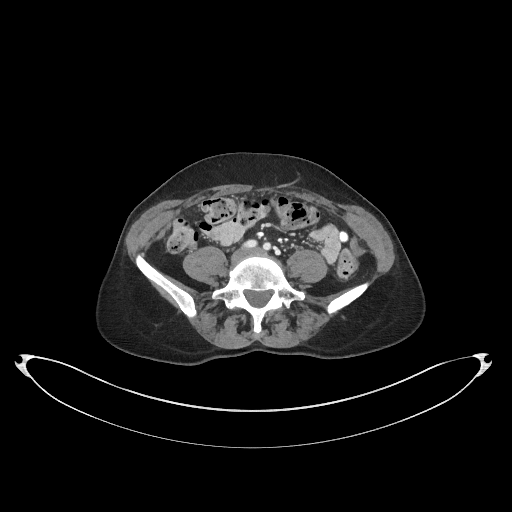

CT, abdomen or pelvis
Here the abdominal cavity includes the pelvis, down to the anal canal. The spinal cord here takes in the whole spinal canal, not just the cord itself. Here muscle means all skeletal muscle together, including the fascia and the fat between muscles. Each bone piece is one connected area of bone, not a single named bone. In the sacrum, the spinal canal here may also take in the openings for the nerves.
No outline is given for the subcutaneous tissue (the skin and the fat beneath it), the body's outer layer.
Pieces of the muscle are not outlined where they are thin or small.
The bones appear in 3 outlined pieces: piece 1: 256,334 261,331 261,322 268,310 289,308 292,301 306,297 305,291 296,290 289,283 279,262 267,255 249,255 239,260 229,270 227,283 211,293 212,299 222,300 230,310 236,307 246,310 253,319 252,330 with a hole at 257,307 260,307 264,305 264,304 268,300 272,292 270,290 267,290 266,291 261,291 260,292 257,292 256,291 252,291 251,290 245,290 244,291 244,293 248,301 252,305 254,306 256,306; piece 2: 189,318 195,316 197,312 195,307 195,303 192,296 188,292 180,288 169,280 160,271 150,264 143,257 141,253 139,253 135,258 135,264 138,269 149,280 155,283 158,287 166,292 174,300 181,311; piece 3: 329,314 331,314 334,312 336,312 338,310 348,305 355,299 359,297 367,289 369,285 368,283 367,282 363,282 360,284 358,284 351,288 349,288 347,289 341,294 333,298 328,303 328,304 326,306 326,310. The torso is outlined by 176,365 197,365 252,351 307,355 322,359 371,353 405,340 420,327 426,313 425,294 407,253 386,216 329,169 311,160 282,153 238,151 211,155 177,171 131,210 98,287 94,305 96,328 112,346 135,356. The abdominal cavity is outlined by 315,295 367,281 374,258 339,217 283,194 212,196 183,210 166,241 148,253 163,273 207,290 212,286 182,268 199,247 222,249 229,269 249,254 267,254 283,265 301,246 319,253 328,270 317,283 295,286. The spinal cord is outlined by 257,307 260,307 264,305 264,304 268,300 272,292 270,290 267,290 266,291 261,291 260,292 257,292 256,291 252,291 251,290 245,290 244,291 244,293 248,301 252,305 254,306 256,306. The muscle appears in 5 outlined pieces: piece 1: 369,284 388,272 395,261 392,241 382,224 361,206 336,203 302,186 285,184 254,188 251,185 233,183 206,188 183,199 162,200 146,209 133,222 124,241 127,254 134,263 134,258 139,252 151,263 147,255 149,249 165,241 166,233 172,223 171,220 183,209 218,194 283,193 313,202 324,207 330,213 339,216 370,247 375,258 375,270 368,281; piece 2: 225,349 255,341 278,348 302,344 338,313 329,315 325,306 346,289 325,296 307,293 289,309 268,311 256,335 246,311 230,311 222,301 210,298 212,290 199,291 164,274 193,296 198,312 186,318 196,332; piece 3: 214,288 224,285 227,281 228,278 228,275 227,274 228,270 226,268 227,259 223,251 219,248 215,246 205,246 199,248 197,250 188,254 184,258 183,268 188,276 191,278 197,281 203,282 209,285 212,285; piece 4: 293,286 298,283 311,284 312,283 317,282 323,278 327,270 326,269 325,264 319,254 312,250 305,249 301,247 300,248 298,248 291,255 290,255 286,262 286,264 283,266 282,265 282,267 288,280; piece 5: 182,314 183,314 177,307 176,304 173,301 173,300 166,293 158,288 157,286 155,285 155,284 149,281 151,285 160,294 160,295 166,300 167,300 173,306 174,306 177,309 177,312 178,313 181,313.